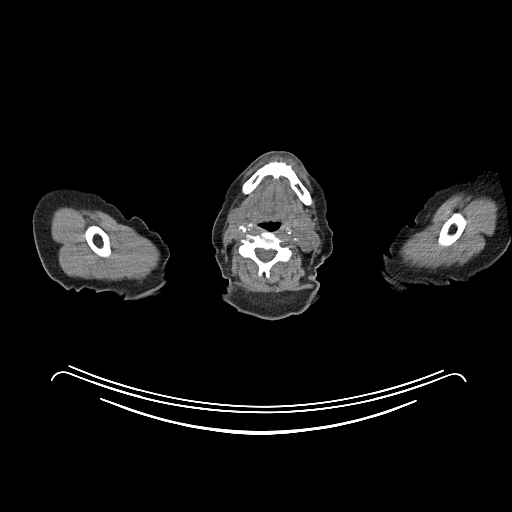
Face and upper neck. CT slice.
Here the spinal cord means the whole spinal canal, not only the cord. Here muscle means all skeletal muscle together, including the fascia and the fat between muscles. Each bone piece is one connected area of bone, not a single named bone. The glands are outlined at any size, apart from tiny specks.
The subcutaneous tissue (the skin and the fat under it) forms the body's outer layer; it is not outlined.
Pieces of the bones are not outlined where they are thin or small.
Outlines:
head and neck: 278,149 289,150 295,154 323,187 327,201 326,219 333,231 333,249 331,254 317,268 316,278 320,283 321,298 299,314 266,320 240,313 220,298 228,281 221,275 216,262 211,231 230,183 260,154, around a hole outlined by 269,222 271,222 272,223 276,223 277,222 278,223 279,223 279,227 278,227 276,229 274,229 272,231 271,231 270,230 268,230 267,229 265,229 263,227 260,226 260,224 261,224 262,223 268,223
left arm: 491,168 497,173 507,211 511,239 505,252 465,282 451,280 449,285 441,287 416,284 403,294 393,291 380,272 380,264 381,255 389,252 394,235 405,224 414,224 416,214 436,190 459,180 473,179 478,171
submandibular glands 1: 243,203 246,204 246,205 249,210 249,215 245,219 244,219 241,221 238,221 237,222 231,222 230,221 229,221 229,220 228,219 228,214 229,213 230,210 234,206 237,206 238,205 239,205 240,204 242,204
submandibular glands 2: 299,212 302,212 303,213 306,214 311,218 311,219 313,221 313,227 312,228 312,229 310,229 309,230 301,230 300,229 298,229 298,228 297,227 294,226 294,224 293,223 294,218 296,216 296,214 297,214
right arm: 57,188 75,188 97,193 114,204 126,218 138,216 151,229 157,231 170,249 165,274 167,281 163,290 143,300 126,301 109,291 95,292 88,288 78,292 66,290 52,280 44,270 36,250 32,214 39,198
bones 1: 264,230 273,232 278,238 283,240 281,244 288,245 292,252 289,260 285,262 278,261 270,268 268,278 264,273 261,275 258,274 258,265 251,258 243,257 238,252 238,248 242,243 241,240 247,234 258,235 with a hole at 257,248 261,248 262,249 264,249 265,250 274,250 276,252 275,253 275,254 274,255 274,256 270,260 269,260 268,261 262,261 256,255 256,252 255,251 255,250
bones 2: 271,161 281,161 285,162 291,166 292,169 307,189 311,196 312,203 310,205 304,204 292,189 289,180 286,177 281,175 278,177 274,177 272,175 267,175 249,193 244,194 242,192 241,187 244,182 260,167
bones 3: 455,212 459,212 466,219 467,222 464,227 464,229 461,233 460,236 454,242 453,242 450,245 449,245 448,246 440,246 437,242 437,241 438,240 438,236 439,235 439,232 440,231 443,224
bones 4: 90,225 96,225 100,227 107,234 109,238 109,242 110,243 110,248 111,249 111,253 108,257 102,257 98,255 95,252 94,252 89,246 84,236 84,234 85,233 85,231 86,229 88,227 88,226
spinal cord: 257,248 261,248 262,249 264,249 265,250 274,250 276,252 275,253 275,254 274,255 274,256 270,260 269,260 268,261 262,261 256,255 256,252 255,251 255,250
muscle 1: 276,154 289,156 293,158 301,167 313,187 317,199 316,208 318,221 323,232 322,248 315,258 311,269 309,271 311,275 310,282 312,284 310,288 300,291 285,291 278,293 247,292 238,287 234,283 234,278 230,274 230,270 228,269 228,266 225,262 224,255 221,251 222,249 221,239 223,226 230,205 236,195 240,181 243,176 261,159, around holes outlined by 269,222 279,223 279,227 272,231 283,240 282,245 290,247 292,254 289,260 276,262 270,268 267,278 264,273 258,274 258,265 251,258 243,257 238,252 238,248 247,234 260,234 265,229 260,224 and by 271,161 281,161 285,162 291,166 292,169 307,189 311,196 312,203 310,205 304,204 292,189 289,180 286,177 281,175 278,177 274,177 272,175 267,175 249,193 244,194 242,192 241,187 244,182 260,167 and by 243,203 246,204 246,205 249,210 249,215 245,219 244,219 241,221 238,221 237,222 231,222 230,221 229,221 229,220 228,219 228,214 229,213 230,210 234,206 237,206 238,205 239,205 240,204 242,204 and by 299,212 302,212 303,213 306,214 311,218 311,219 313,221 313,227 312,228 312,229 310,229 309,230 301,230 300,229 298,229 298,228 297,227 294,226 294,224 293,223 294,218 296,216 296,214 297,214
muscle 2: 61,206 69,206 76,209 98,209 108,213 119,223 134,228 141,235 153,242 158,248 161,258 157,267 141,282 128,279 110,281 85,279 67,275 59,265 57,257 58,246 52,239 50,233 50,218 52,212, around a hole outlined by 90,225 96,225 100,227 107,234 109,238 109,242 110,243 110,248 111,249 111,253 108,257 102,257 98,255 95,252 94,252 89,246 84,236 84,234 85,233 85,231 86,229 88,227 88,226
muscle 3: 461,191 472,194 474,197 489,196 493,198 499,205 495,231 487,238 486,244 482,251 463,265 440,267 434,270 410,267 403,264 398,254 398,250 403,242 414,233 420,231 430,222 432,214 439,205 451,195, around a hole outlined by 455,212 459,212 466,219 467,222 464,227 464,229 461,233 460,236 454,242 453,242 450,245 449,245 448,246 440,246 437,242 437,241 438,240 438,236 439,235 439,232 440,231 443,224